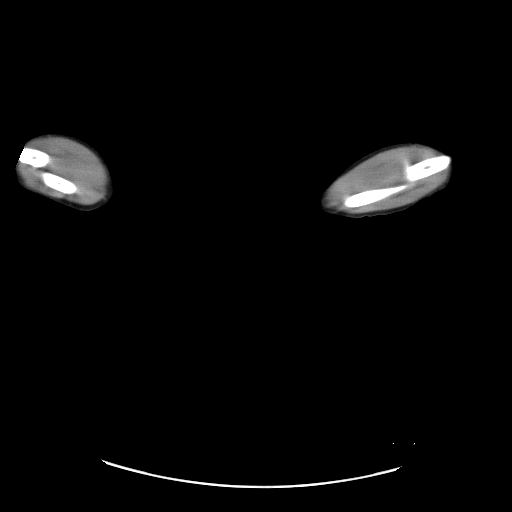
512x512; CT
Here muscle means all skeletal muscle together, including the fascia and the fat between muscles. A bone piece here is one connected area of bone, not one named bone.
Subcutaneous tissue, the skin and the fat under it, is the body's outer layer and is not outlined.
The bones appear in 3 outlined pieces: piece 1: 440 154; 447 154; 451 157; 452 161; 448 168; 436 172; 425 178; 416 180; 412 183; 410 187; 377 201; 356 207; 344 206; 343 200; 345 196; 355 194; 368 189; 382 188; 399 184; 403 181; 401 178; 404 166; 411 165; 425 158; piece 2: 40 171; 49 171; 52 173; 54 173; 57 175; 59 175; 73 182; 77 186; 79 190; 79 193; 70 193; 69 194; 68 193; 64 193; 56 189; 54 189; 53 188; 51 188; 47 186; 38 176; 38 173; piece 3: 25 146; 27 146; 31 148; 35 148; 36 149; 41 150; 47 153; 52 158; 52 161; 49 164; 48 164; 45 167; 43 168; 36 168; 26 163; 20 163; 18 161; 18 160; 19 159; 20 154; 23 148. The left arm is outlined by 407 141; 424 142; 430 144; 450 153; 454 157; 455 165; 452 179; 445 189; 428 198; 419 201; 408 209; 388 215; 379 215; 373 217; 363 217; 355 219; 324 213; 316 207; 316 200; 320 193; 334 177; 346 166; 375 149; 386 145. The muscle appears in 2 outlined pieces: piece 1: 411 145; 425 146; 442 153; 404 165; 400 178; 402 181; 399 183; 345 195; 343 206; 356 208; 377 202; 410 188; 416 181; 448 169; 451 164; 442 184; 409 203; 388 209; 347 212; 327 205; 326 196; 329 190; 348 171; 378 153; piece 2: 47 136; 57 136; 73 140; 85 146; 97 156; 107 175; 106 192; 103 198; 94 203; 80 204; 64 198; 45 194; 28 187; 24 183; 16 167; 18 162; 36 169; 43 169; 53 161; 53 158; 47 152; 25 145; 25 143; inner edge: 40 171; 49 171; 52 173; 54 173; 57 175; 59 175; 73 182; 77 186; 79 190; 79 193; 70 193; 69 194; 68 193; 64 193; 56 189; 54 189; 53 188; 51 188; 47 186; 38 176; 38 173. The right arm is outlined by 45 132; 60 132; 73 135; 86 141; 96 148; 103 155; 110 167; 115 187; 115 192; 113 197; 105 205; 90 211; 79 211; 56 203; 39 195; 28 192; 22 189; 17 184; 14 176; 14 172; 26 141; 30 137; 36 134.